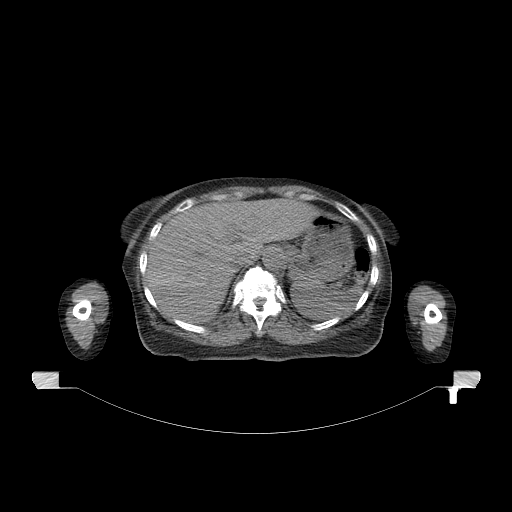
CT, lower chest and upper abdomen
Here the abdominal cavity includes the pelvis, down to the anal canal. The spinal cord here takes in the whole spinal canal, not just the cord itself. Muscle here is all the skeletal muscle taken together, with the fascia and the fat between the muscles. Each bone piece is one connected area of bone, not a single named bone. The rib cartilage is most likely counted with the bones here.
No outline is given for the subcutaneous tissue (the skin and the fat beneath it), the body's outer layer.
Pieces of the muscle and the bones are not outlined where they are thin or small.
The spinal cord is outlined by 258 297; 259 297; 260 298; 263 298; 265 300; 264 301; 264 302; 262 304; 262 305; 261 306; 261 308; 259 308; 256 305; 256 304; 255 303; 255 302; 254 301; 254 300; 256 298; 257 298. The mediastinum is outlined by 311 200; 317 200; 318 201; 321 201; 322 202; 335 208; 335 209; 336 210; 337 210; 341 214; 342 214; 343 215; 341 215; 340 214; 338 214; 337 213; 332 213; 331 212; 328 212; 327 211; 325 211; 323 209; 318 207. The torso is outlined by 232 176; 283 176; 307 180; 357 201; 371 203; 395 223; 400 241; 396 247; 388 248; 391 301; 382 336; 371 351; 358 357; 283 361; 186 360; 178 356; 155 355; 143 346; 122 270; 125 246; 118 236; 122 218; 150 196; 201 180. The muscle appears in 7 outlined pieces: piece 1: 151 227; 148 235; 148 239; 152 241; 149 249; 147 252; 142 250; 138 257; 139 271; 142 276; 145 275; 147 284; 143 285; 143 293; 150 305; 156 310; 159 307; 180 328; 198 334; 204 334; 207 331; 205 326; 220 317; 230 305; 232 308; 237 306; 241 312; 250 315; 254 319; 256 329; 252 335; 239 344; 210 346; 197 344; 157 330; 150 324; 134 278; 138 250; piece 2: 375 237; 382 256; 383 282; 368 322; 307 344; 283 344; 264 334; 267 317; 277 316; 288 302; 300 316; 314 322; 309 325; 314 331; 335 325; 351 309; 358 311; 369 297; 368 285; 378 281; 379 268; 372 263; 372 255; 377 252; piece 3: 89 282; 96 282; 103 288; 107 296; 108 310; 104 322; 97 326; 97 332; 94 335; 90 348; 87 350; 84 350; 73 339; 72 335; 68 330; 68 328; 66 326; 65 313; 69 305; 70 302; 69 298; 71 296; 72 292; 79 286; inner edge: 80 299; 88 299; 90 301; 90 302; 91 303; 91 306; 92 307; 92 308; 91 309; 91 312; 90 313; 88 318; 85 320; 80 320; 79 319; 78 319; 72 314; 72 309; 73 308; 73 306; 78 301; 78 300; 79 300; piece 4: 419 285; 427 285; 433 289; 437 290; 442 294; 446 302; 446 306; 445 307; 447 314; 447 329; 446 333; 442 344; 432 352; 427 351; 423 347; 421 342; 421 336; 418 333; 418 328; 412 324; 408 311; 408 298; 409 295; 411 291 with a hole at 430 302; 432 302; 433 303; 435 303; 441 312; 441 314; 442 315; 442 317; 441 318; 441 319; 437 323; 427 323; 425 321; 425 319; 424 318; 424 316; 423 315; 423 313; 424 312; 424 308; 425 307; 426 304; 427 304; piece 5: 236 185; 259 186; 260 187; 282 185; 301 185; 314 189; 327 197; 337 201; 335 202; 334 207; 321 200; 316 199; 316 197; 311 193; 301 192; 297 194; 296 197; 294 196; 295 192; 290 189; 285 191; 283 195; 265 192; 256 193; 249 196; 242 197; 244 193; 240 190; 236 190; 232 193; 228 192; 215 193; 210 196; 209 200; 197 203; 195 199; 190 197; 192 196; 196 196; 218 188; piece 6: 357 215; 358 215; 362 219; 363 219; 370 227; 371 230; 373 232; 373 234; 374 236; 370 232; 368 232; 365 235; 365 236; 364 235; 364 234; 361 231; 361 230; 358 227; 358 226; 356 225; 355 223; 359 221; 359 218; piece 7: 177 204; 177 205; 173 209; 172 211; 172 212; 174 214; 172 215; 171 217; 169 218; 169 219; 168 219; 164 223; 163 223; 161 221; 157 221; 155 222; 157 218; 158 218; 162 214; 165 213; 167 211; 171 209. The right arm is outlined by 83 276; 91 276; 100 279; 105 284; 110 293; 112 305; 113 306; 113 315; 110 322; 109 331; 105 344; 101 351; 94 358; 89 360; 79 359; 75 357; 68 350; 65 344; 59 325; 58 311; 57 310; 58 302; 63 290; 76 279. The abdominal cavity is outlined by 265 193; 310 200; 357 226; 365 237; 371 266; 367 287; 355 306; 340 316; 319 322; 308 320; 292 307; 276 276; 257 264; 235 282; 229 307; 212 322; 202 325; 169 316; 158 305; 146 279; 148 251; 163 224; 202 202. The left arm is outlined by 422 279; 429 279; 443 284; 451 292; 456 305; 456 314; 453 325; 453 333; 452 334; 452 341; 451 342; 450 352; 446 360; 440 363; 423 363; 418 360; 412 350; 412 348; 406 334; 405 322; 403 315; 404 295; 407 289; 414 282. The bones appear in 15 outlined pieces: piece 1: 257 265; 275 276; 287 300; 286 303; 281 305; 281 310; 277 315; 266 317; 262 324; 261 329; 263 335; 261 337; 255 333; 257 329; 255 319; 250 314; 241 311; 237 305; 234 307; 231 306; 234 296; 233 288; 236 282; 247 269, around a hole outlined by 258 297; 259 297; 260 298; 263 298; 265 300; 264 301; 264 302; 262 304; 262 305; 261 306; 261 308; 259 308; 256 305; 256 304; 255 303; 255 302; 254 301; 254 300; 256 298; 257 298; piece 2: 80 299; 88 299; 90 301; 90 302; 91 303; 91 306; 92 307; 92 308; 91 309; 91 312; 90 313; 88 318; 85 320; 80 320; 79 319; 78 319; 72 314; 72 309; 73 308; 73 306; 78 301; 78 300; 79 300; piece 3: 430 302; 432 302; 433 303; 435 303; 441 312; 441 314; 442 315; 442 317; 441 318; 441 319; 437 323; 427 323; 425 321; 425 319; 424 318; 424 316; 423 315; 423 313; 424 312; 424 308; 425 307; 426 304; 427 304; piece 4: 173 318; 176 318; 177 319; 179 319; 182 321; 184 321; 185 322; 187 322; 191 324; 194 324; 195 325; 201 325; 202 326; 204 326; 206 328; 206 331; 204 333; 198 333; 194 331; 186 330; 180 327; 177 324; 176 324; 173 321; piece 5: 338 201; 339 202; 341 202; 343 204; 347 206; 357 216; 358 218; 358 221; 356 221; 355 222; 352 221; 349 218; 348 218; 345 215; 344 215; 337 209; 336 209; 335 207; 335 204; 336 202; piece 6: 336 316; 337 316; 338 317; 340 317; 340 319; 335 324; 334 324; 329 327; 327 327; 326 328; 323 328; 320 330; 314 330; 310 326; 310 325; 313 323; 319 323; 320 322; 323 322; 326 320; 329 320; 330 319; 331 319; piece 7: 187 198; 191 198; 192 199; 195 200; 196 201; 196 203; 195 204; 192 205; 189 208; 188 208; 183 211; 180 211; 177 213; 174 213; 173 212; 173 211; 174 210; 174 209; 178 205; 178 204; 180 202; 181 202; 183 200; 184 200; piece 8: 236 191; 240 191; 243 193; 243 195; 241 197; 237 197; 234 195; 231 195; 227 199; 221 199; 220 200; 216 200; 215 199; 211 199; 211 196; 212 195; 214 195; 215 194; 222 194; 223 193; 228 193; 229 194; 232 194; piece 9: 142 251; 145 251; 147 253; 147 263; 146 264; 146 268; 145 269; 145 274; 144 275; 142 275; 142 274; 141 273; 141 272; 140 271; 140 268; 139 267; 139 257; 140 256; 140 254; 141 253; 141 252; piece 10: 144 285; 147 285; 148 286; 148 287; 149 288; 149 289; 150 290; 150 291; 151 292; 151 293; 152 294; 152 295; 153 296; 153 297; 158 306; 158 309; 156 309; 154 307; 153 307; 146 298; 146 297; 145 296; 145 294; 144 293; piece 11: 368 233; 370 233; 374 237; 374 238; 375 239; 375 243; 376 244; 376 252; 375 253; 375 254; 371 254; 371 253; 370 252; 370 250; 369 249; 369 247; 368 246; 368 244; 367 243; 367 241; 366 240; 366 235; piece 12: 372 264; 375 264; 377 266; 377 267; 378 268; 378 276; 377 277; 377 281; 375 283; 375 284; 374 285; 371 285; 370 284; 369 284; 369 280; 370 279; 370 274; 371 273; 371 267; 372 266; piece 13: 366 289; 367 289; 369 292; 369 293; 368 294; 368 297; 367 298; 366 301; 363 304; 363 305; 358 310; 357 310; 356 311; 355 310; 354 310; 354 308; 356 306; 356 303; 358 301; 359 298; 361 296; 361 295; 363 293; 363 292; piece 14: 157 222; 161 222; 162 223; 162 225; 161 226; 161 227; 160 228; 160 229; 159 230; 159 231; 158 232; 157 235; 153 239; 153 240; 150 240; 149 239; 149 235; 150 234; 150 231; 151 230; 152 227; 154 225; 154 224; piece 15: 301 193; 306 193; 307 194; 311 194; 312 195; 313 195; 315 197; 315 199; 300 199; 299 198; 298 198; 297 197; 297 195; 298 195; 299 194; 300 194.